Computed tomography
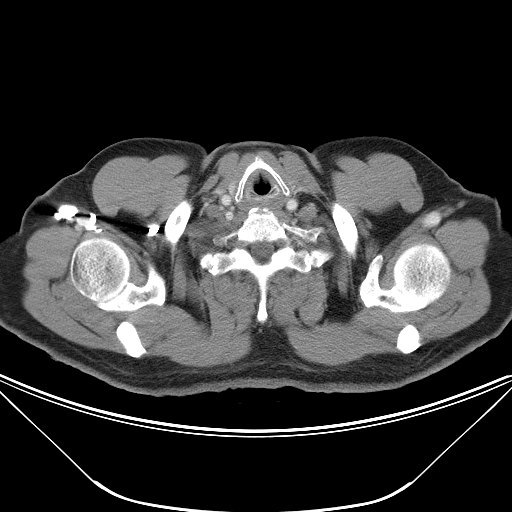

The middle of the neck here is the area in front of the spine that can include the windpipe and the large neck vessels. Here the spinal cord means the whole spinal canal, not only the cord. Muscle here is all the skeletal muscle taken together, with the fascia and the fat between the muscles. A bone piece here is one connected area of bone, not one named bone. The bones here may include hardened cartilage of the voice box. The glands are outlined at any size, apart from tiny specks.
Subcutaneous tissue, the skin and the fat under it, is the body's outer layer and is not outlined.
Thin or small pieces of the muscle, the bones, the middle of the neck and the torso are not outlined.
The left arm is outlined by [[446,173],[460,182],[467,189],[477,192],[489,192],[493,194],[497,198],[503,216],[503,221],[510,228],[511,231],[511,321],[499,335],[477,348],[451,337],[411,312],[393,291],[384,267],[384,252],[388,241],[389,232],[394,221],[405,207],[420,192]]. The spinal cord is outlined by [[258,241],[259,242],[266,241],[269,243],[273,243],[274,250],[270,255],[269,260],[267,262],[260,263],[256,261],[256,260],[250,253],[250,251],[249,250],[250,249],[249,248],[250,247],[250,245]]. The bones appear in 8 outlined pieces: piece 1: [[252,207],[266,207],[290,225],[321,228],[315,241],[301,239],[295,248],[332,254],[306,273],[286,267],[269,278],[264,323],[256,318],[259,286],[252,274],[235,269],[214,276],[199,264],[202,254],[236,243],[235,237],[226,244],[219,238],[236,230]] with a hole at [[258,241],[259,242],[266,241],[269,243],[273,243],[274,250],[270,255],[269,260],[267,262],[260,263],[256,261],[256,260],[250,253],[250,251],[249,250],[250,249],[249,248],[250,247],[250,245]]; piece 2: [[94,237],[106,237],[124,250],[130,262],[128,279],[137,286],[142,286],[147,281],[147,268],[148,265],[152,265],[165,282],[164,303],[162,305],[145,305],[133,311],[107,311],[99,308],[92,300],[80,293],[70,277],[70,262],[76,246],[81,241]]; piece 3: [[418,243],[429,243],[439,247],[448,259],[451,272],[444,292],[425,307],[408,312],[393,312],[380,306],[366,307],[359,295],[359,286],[373,258],[378,254],[382,255],[378,283],[381,288],[389,289],[394,283],[393,267],[397,258],[404,250]]; piece 4: [[333,202],[338,202],[346,208],[352,216],[352,218],[355,223],[357,229],[358,240],[356,245],[356,251],[354,257],[348,255],[347,252],[345,250],[342,241],[340,238],[340,236],[338,233],[337,228],[333,220],[331,214],[331,205]]; piece 5: [[184,199],[188,200],[191,203],[192,205],[192,210],[187,221],[187,223],[185,226],[185,228],[182,234],[180,236],[175,247],[173,248],[171,246],[170,243],[165,239],[165,225],[166,224],[166,221],[168,218],[168,216],[173,208],[180,201]]; piece 6: [[124,320],[128,320],[130,321],[136,327],[136,329],[140,337],[141,342],[143,346],[146,349],[146,353],[143,354],[138,358],[130,356],[126,353],[123,345],[120,342],[120,341],[118,339],[116,335],[116,329],[117,327],[119,325],[119,324]]; piece 7: [[256,156],[260,157],[281,176],[290,190],[290,194],[288,196],[283,194],[281,186],[268,171],[265,169],[258,168],[254,170],[247,177],[243,187],[243,196],[241,201],[237,203],[235,201],[234,194],[237,188],[236,186],[238,184],[245,168],[254,160]]; piece 8: [[406,324],[412,324],[417,329],[417,330],[419,333],[419,335],[420,336],[420,346],[419,347],[418,347],[415,350],[414,350],[413,351],[412,351],[407,354],[404,354],[397,349],[397,348],[396,347],[396,341],[397,340],[397,335],[398,334],[399,331]]. The right arm is outlined by [[47,189],[76,203],[79,203],[98,213],[109,221],[123,235],[126,242],[128,257],[130,262],[130,281],[124,295],[112,306],[100,313],[48,334],[31,338],[18,339],[15,335],[0,325],[0,241],[18,228],[22,215],[27,206],[36,196],[43,193]]. The thyroid glands are outlined by [[235,180],[236,181],[236,182],[235,183],[235,186],[236,187],[236,188],[235,189],[235,190],[234,191],[234,192],[232,194],[232,195],[230,195],[229,194],[229,193],[228,192],[228,189],[227,188],[227,186],[229,184],[230,184],[232,182],[233,182]]. The head and neck is outlined by [[234,140],[269,140],[299,145],[313,162],[338,242],[338,279],[333,300],[327,318],[322,325],[321,333],[311,345],[282,359],[255,359],[236,353],[224,346],[207,329],[200,317],[194,300],[189,275],[189,246],[197,182],[202,167],[213,149],[225,142]]. The muscle is outlined by [[257,148],[297,153],[318,179],[326,179],[346,155],[384,151],[407,160],[424,190],[463,200],[486,225],[487,312],[466,328],[422,345],[418,329],[406,323],[395,341],[403,354],[368,354],[338,366],[303,360],[268,324],[253,331],[254,347],[246,357],[212,367],[139,358],[147,349],[128,319],[115,329],[127,355],[79,345],[41,324],[23,305],[26,241],[58,207],[86,189],[108,160],[185,154],[195,188],[224,153]], around holes outlined by [[256,156],[298,193],[296,212],[274,211],[277,218],[321,228],[315,241],[301,239],[295,248],[332,254],[306,273],[286,267],[269,278],[264,323],[256,318],[252,274],[214,276],[199,264],[202,254],[236,243],[219,238],[248,212],[223,210],[218,196]] and by [[94,237],[106,237],[124,250],[130,262],[128,279],[137,286],[142,286],[147,281],[147,268],[148,265],[152,265],[165,282],[164,303],[162,305],[145,305],[133,311],[107,311],[99,308],[92,300],[80,293],[70,277],[70,262],[76,246],[81,241]] and by [[418,243],[429,243],[439,247],[448,259],[451,272],[444,292],[425,307],[408,312],[393,312],[380,306],[366,307],[359,295],[359,286],[373,258],[378,254],[382,255],[378,283],[381,288],[389,289],[394,283],[393,267],[397,258],[404,250]] and by [[333,202],[338,202],[346,208],[352,216],[352,218],[355,223],[357,229],[358,240],[356,245],[356,251],[354,257],[348,255],[347,252],[345,250],[342,241],[340,238],[340,236],[338,233],[337,228],[333,220],[331,214],[331,205]] and by [[184,199],[188,200],[191,203],[192,205],[192,210],[187,221],[187,223],[185,226],[185,228],[182,234],[180,236],[175,247],[173,248],[171,246],[170,243],[165,239],[165,225],[166,224],[166,221],[168,218],[168,216],[173,208],[180,201]]. The middle of the neck is outlined by [[258,169],[268,172],[286,197],[291,194],[287,184],[297,191],[300,204],[295,213],[274,211],[266,206],[252,206],[248,211],[240,209],[227,211],[219,207],[218,196],[225,188],[230,196],[233,194],[234,201],[237,204],[240,203],[248,177]]. The torso is outlined by [[359,135],[405,141],[446,171],[393,221],[383,267],[411,313],[476,348],[457,361],[378,392],[153,397],[20,340],[125,295],[124,235],[48,188],[114,142],[154,136],[211,151],[188,246],[206,329],[260,361],[311,346],[334,300],[340,249],[302,147]].